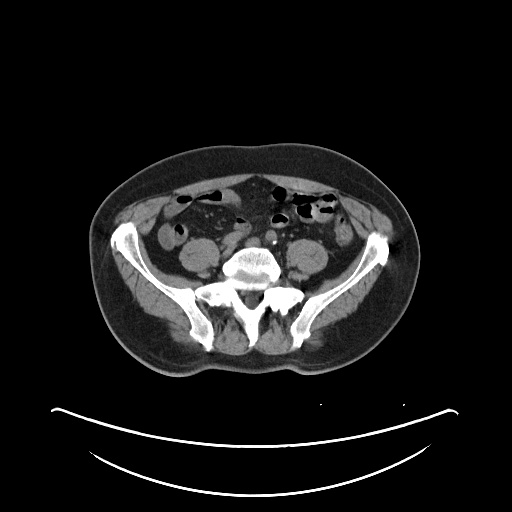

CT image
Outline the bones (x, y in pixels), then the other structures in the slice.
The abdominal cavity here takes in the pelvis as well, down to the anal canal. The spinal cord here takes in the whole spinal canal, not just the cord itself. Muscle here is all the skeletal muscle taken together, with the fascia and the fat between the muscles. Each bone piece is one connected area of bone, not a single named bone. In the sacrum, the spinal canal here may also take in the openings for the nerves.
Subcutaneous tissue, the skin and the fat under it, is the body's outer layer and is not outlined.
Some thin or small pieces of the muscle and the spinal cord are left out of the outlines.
Outlined structures:
bones: 127 221; 149 270; 177 288; 222 280; 234 252; 257 246; 275 257; 280 283; 308 298; 354 271; 372 231; 390 251; 293 350; 289 329; 302 302; 285 315; 268 309; 250 348; 230 307; 198 300; 214 332; 207 352; 183 309; 111 247 with a hole at 246 291; 254 291; 255 292; 257 292; 259 295; 259 298; 260 299; 262 296; 262 293; 263 293; 263 297; 259 300; 259 301; 256 305; 256 306; 253 308; 249 308; 244 303; 244 301; 243 300; 243 297; 244 296; 244 294
abdominal cavity: 255 176; 292 189; 329 191; 340 200; 364 241; 343 271; 304 292; 298 287; 281 283; 282 268; 265 246; 248 245; 237 249; 221 265; 223 278; 203 284; 200 280; 164 272; 152 262; 143 237; 154 224; 162 205; 174 194; 196 194; inner edge: 299 239; 308 239; 319 242; 327 250; 327 256; 328 257; 327 263; 322 269; 317 272; 312 273; 309 277; 304 280; 295 279; 289 275; 290 272; 293 270; 294 267; 293 266; 288 266; 287 263; 288 262; 286 258; 286 252; 289 243
muscle 1: 250 172; 310 179; 340 189; 373 205; 391 220; 394 230; 391 249; 388 237; 377 230; 372 230; 367 235; 365 243; 341 200; 331 191; 292 188; 255 175; 237 183; 196 193; 176 192; 161 205; 153 224; 142 237; 151 262; 164 273; 200 281; 202 284; 193 288; 190 286; 177 287; 163 282; 150 270; 143 259; 135 223; 132 220; 122 221; 112 231; 116 215; 129 204; 146 197; 204 179
muscle 2: 198 301; 211 307; 230 308; 232 315; 242 322; 250 349; 258 340; 259 325; 268 310; 285 316; 290 309; 302 303; 288 329; 291 337; 290 349; 299 349; 276 355; 264 354; 254 349; 241 355; 213 351; 214 328; 199 307
muscle 3: 109 242; 112 249; 119 252; 144 278; 182 309; 190 324; 188 331; 189 336; 195 342; 200 344; 204 351; 199 349; 188 349; 183 345; 174 342; 169 336; 164 322; 158 317; 146 313; 143 310; 133 297; 129 288; 124 283; 112 257
muscle 4: 390 252; 389 265; 374 283; 369 292; 358 305; 357 309; 327 328; 325 331; 324 342; 321 346; 313 349; 307 349; 303 347; 300 348; 303 343; 311 336; 310 328; 315 318; 331 302; 355 285; 375 266; 380 265; 384 267; 388 261
muscle 5: 299 239; 308 239; 319 242; 327 250; 327 256; 328 257; 327 263; 322 269; 317 272; 312 273; 309 277; 304 280; 295 279; 289 275; 290 272; 293 270; 294 267; 293 266; 288 266; 287 263; 288 262; 286 258; 286 252; 289 243
muscle 6: 198 238; 207 238; 210 240; 212 240; 217 246; 219 252; 219 257; 217 260; 217 263; 209 267; 209 273; 208 276; 206 277; 199 277; 192 271; 186 269; 182 265; 179 259; 179 254; 183 246; 190 240; 192 239; 197 239
muscle 7: 363 247; 363 250; 357 265; 353 271; 343 281; 323 292; 313 294; 308 297; 306 297; 305 295; 305 292; 306 291; 316 289; 325 280; 335 278; 342 272; 343 272; 349 266; 349 265; 357 256
torso: 279 142; 308 143; 340 152; 369 169; 401 201; 420 248; 417 281; 405 312; 373 350; 328 372; 299 374; 283 369; 250 374; 209 369; 172 377; 150 369; 118 343; 100 312; 88 253; 88 232; 94 213; 119 184; 167 156; 209 145
spinal cord: 246 291; 254 291; 255 292; 257 292; 259 295; 259 298; 260 299; 262 296; 262 293; 263 293; 263 297; 259 300; 259 301; 256 305; 256 306; 253 308; 249 308; 244 303; 244 301; 243 300; 243 297; 244 296; 244 294